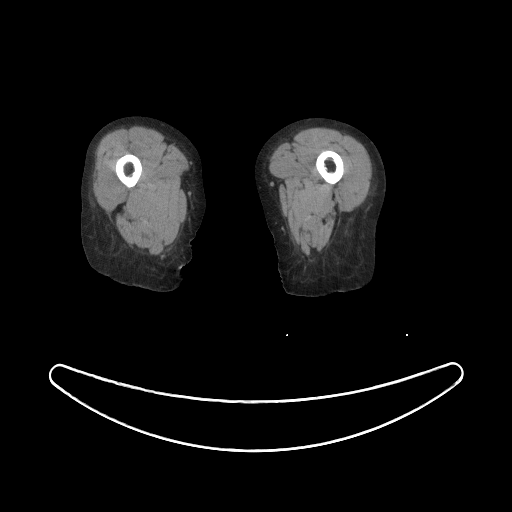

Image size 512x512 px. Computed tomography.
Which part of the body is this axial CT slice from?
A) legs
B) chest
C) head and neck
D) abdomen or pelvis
A) legs
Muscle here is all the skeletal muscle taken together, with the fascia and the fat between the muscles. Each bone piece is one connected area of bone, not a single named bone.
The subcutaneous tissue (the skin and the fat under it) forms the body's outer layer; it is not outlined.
Outlines (x, y in pixels):
bones 1: [[324,149],[330,149],[331,150],[335,151],[341,156],[343,160],[343,163],[344,164],[344,173],[342,177],[336,183],[334,184],[330,184],[326,182],[320,175],[316,169],[316,167],[315,166],[315,162],[316,161],[316,158],[317,156],[319,153]]
bones 2: [[126,152],[131,153],[137,156],[139,158],[141,162],[141,165],[142,166],[142,172],[141,173],[141,175],[138,181],[134,186],[130,188],[124,185],[119,180],[114,170],[114,167],[115,166],[115,162],[116,160],[118,158],[122,156]]
left leg: [[309,117],[334,118],[360,129],[373,141],[378,149],[386,174],[386,192],[376,226],[376,259],[372,280],[364,287],[356,290],[335,292],[316,297],[297,296],[285,292],[277,268],[277,255],[273,237],[266,223],[254,177],[257,155],[267,139],[285,125]]
right leg: [[132,115],[153,117],[177,128],[192,142],[201,159],[205,211],[196,234],[191,241],[192,257],[181,270],[183,281],[179,287],[168,292],[154,292],[122,285],[113,281],[90,266],[82,247],[80,235],[80,185],[87,147],[92,137],[102,126],[117,118]]
muscle 1: [[129,125],[140,125],[159,131],[165,137],[172,140],[192,162],[182,180],[182,186],[188,197],[186,219],[179,231],[179,235],[173,243],[173,248],[164,260],[155,260],[141,254],[125,241],[112,225],[92,193],[92,173],[97,144],[109,131]]; inner edge: [[126,152],[131,153],[137,156],[139,158],[141,162],[141,165],[142,166],[142,172],[141,173],[141,175],[138,181],[134,186],[130,188],[124,185],[119,180],[114,170],[114,167],[115,166],[115,162],[116,160],[118,158],[122,156]]
muscle 2: [[310,127],[328,127],[349,134],[365,147],[372,164],[371,187],[365,201],[353,211],[340,212],[336,231],[330,244],[312,261],[306,260],[298,252],[290,238],[286,220],[281,212],[278,192],[270,183],[274,178],[268,170],[269,157],[275,148],[298,131]], around a hole outlined by [[324,149],[330,149],[331,150],[335,151],[341,156],[343,160],[343,163],[344,164],[344,173],[342,177],[336,183],[334,184],[330,184],[326,182],[320,175],[316,169],[316,167],[315,166],[315,162],[316,161],[316,158],[317,156],[319,153]]